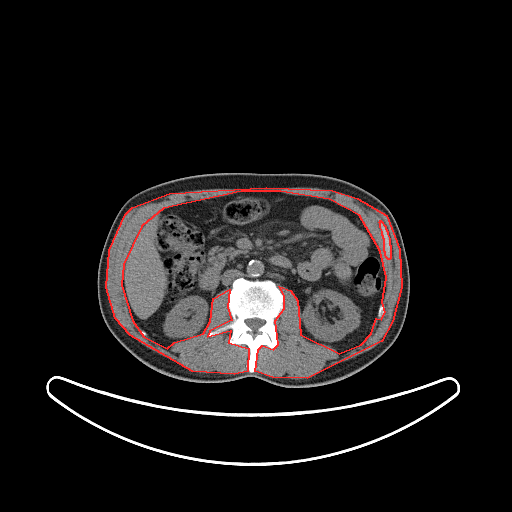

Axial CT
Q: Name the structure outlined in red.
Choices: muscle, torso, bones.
A: red: muscle.
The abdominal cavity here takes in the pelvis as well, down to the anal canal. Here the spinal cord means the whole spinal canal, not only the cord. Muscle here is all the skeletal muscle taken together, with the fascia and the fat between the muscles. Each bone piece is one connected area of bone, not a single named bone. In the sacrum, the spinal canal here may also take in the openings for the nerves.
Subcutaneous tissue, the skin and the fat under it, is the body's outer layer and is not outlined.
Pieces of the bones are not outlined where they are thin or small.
{"muscle":[{"outer":[[266,187],[332,190],[357,198],[386,215],[399,249],[401,287],[392,321],[381,341],[307,378],[272,377],[255,371],[258,349],[262,345],[273,349],[278,344],[275,320],[284,308],[284,295],[279,286],[290,290],[297,300],[300,334],[339,353],[361,344],[371,333],[376,318],[381,319],[385,312],[382,302],[386,277],[380,251],[359,215],[329,199],[280,191],[241,191],[163,208],[141,226],[123,264],[121,285],[132,320],[143,336],[167,348],[174,342],[203,333],[210,321],[213,298],[229,289],[227,307],[231,320],[209,331],[207,336],[230,330],[228,342],[248,348],[247,371],[234,374],[192,371],[130,335],[115,318],[106,287],[109,250],[125,214],[132,207],[169,193]],"hole":[[380,220],[385,226],[385,228],[387,231],[387,234],[389,238],[389,244],[390,245],[390,258],[389,259],[388,259],[386,257],[385,255],[385,252],[384,251],[384,239],[383,238],[383,236],[382,235],[382,231],[380,227],[380,223],[379,222]]}],"bones":[{"outer":[[240,277],[248,280],[271,280],[283,295],[283,308],[274,320],[277,344],[273,348],[262,344],[257,349],[253,372],[248,371],[246,366],[250,354],[248,346],[243,343],[231,344],[230,329],[208,336],[209,332],[232,320],[228,307],[228,295],[233,282]],"hole":[[250,318],[258,318],[259,319],[261,319],[262,320],[263,320],[264,321],[264,323],[261,326],[260,326],[256,330],[256,331],[254,331],[250,327],[249,327],[247,325],[247,324],[245,322],[245,321],[246,320],[246,319],[249,319]]},[[380,220],[385,226],[385,228],[387,231],[387,234],[389,238],[389,244],[390,245],[390,258],[389,259],[388,259],[386,257],[385,255],[385,252],[384,251],[384,239],[383,238],[383,236],[382,235],[382,231],[380,227],[380,223],[379,222]]],"spinal_cord":[[[250,318],[258,318],[259,319],[261,319],[262,320],[263,320],[264,321],[264,323],[261,326],[260,326],[256,330],[256,331],[254,331],[250,327],[249,327],[247,325],[247,324],[245,322],[245,321],[246,320],[246,319],[249,319]]],"torso":[[[221,172],[332,176],[367,190],[387,206],[402,236],[410,283],[403,326],[393,344],[381,356],[344,379],[313,387],[283,387],[256,377],[202,383],[177,379],[148,367],[112,335],[99,308],[97,271],[105,239],[120,208],[131,196],[150,186],[191,175]]],"abdominal_cavity":[[[241,192],[320,198],[358,215],[377,246],[385,277],[377,316],[361,343],[339,352],[329,344],[308,340],[300,332],[302,313],[290,289],[278,287],[271,279],[242,276],[212,298],[208,324],[197,335],[167,347],[136,324],[122,275],[142,226],[168,207]]]}